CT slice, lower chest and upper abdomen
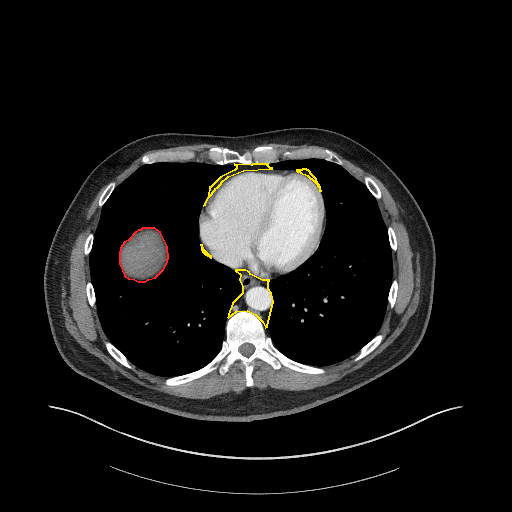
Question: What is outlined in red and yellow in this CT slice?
Answer: red: abdominal cavity; yellow: mediastinum.
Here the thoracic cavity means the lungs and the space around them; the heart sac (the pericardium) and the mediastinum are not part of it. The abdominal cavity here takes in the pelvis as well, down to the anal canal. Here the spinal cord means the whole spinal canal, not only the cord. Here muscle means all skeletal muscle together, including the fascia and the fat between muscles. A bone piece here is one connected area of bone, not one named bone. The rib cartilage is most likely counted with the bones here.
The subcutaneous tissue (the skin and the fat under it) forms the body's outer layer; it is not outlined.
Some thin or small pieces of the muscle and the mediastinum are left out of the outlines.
The abdominal cavity is outlined by 138,281 145,281 148,279 155,277 163,269 167,262 167,259 168,258 167,246 160,232 154,228 142,228 140,230 138,230 135,232 128,240 124,242 120,248 120,251 119,252 119,263 124,275 128,278 134,279. The mediastinum appears in 4 outlined pieces: piece 1: 265,327 267,326 273,301 271,293 268,289 268,281 269,280 262,280 250,274 249,272 245,270 235,270 240,274 239,280 242,286 242,293 232,303 228,314 228,317 236,311 247,310 255,314 262,321; piece 2: 203,205 205,204 209,196 215,189 215,188 217,187 221,183 221,182 228,176 243,170 272,168 270,168 267,165 268,164 252,164 251,165 234,164 236,165 236,168 234,170 220,177 210,187 209,187 208,195; piece 3: 320,191 320,188 319,187 319,185 318,184 316,179 310,173 310,172 308,170 307,170 306,169 302,169 301,170 296,170 297,171 299,171 300,172 307,175 310,178 311,178 317,184 317,185 318,185 319,186 319,188; piece 4: 210,257 211,257 211,256 210,256 203,249 203,248 202,247 202,246 201,245 201,244 201,249 202,250 202,251 205,254 206,254 207,255 208,255. The pericardium is outlined by 262,279 269,279 291,271 305,261 315,251 319,243 318,241 320,238 323,215 325,211 321,191 319,191 318,186 311,179 295,170 249,170 232,175 216,188 200,212 199,238 204,249 218,261 234,269 245,269. The bones appear in 11 outlined pieces: piece 1: 248,387 253,385 251,373 256,359 274,369 283,365 310,374 325,370 296,362 281,353 266,334 261,321 247,311 236,312 228,318 222,347 209,363 164,381 166,385 177,385 215,369 223,375 239,360 245,366; inner edge: 245,356 249,356 253,352 253,351 254,350 254,347 253,346 253,345 252,345 251,344 250,344 249,343 244,343 242,345 241,345 239,347 239,351 243,355 244,355; piece 2: 340,165 342,165 343,162 332,151 326,148 302,148 280,151 272,145 259,145 251,150 246,150 241,153 225,147 212,146 209,147 206,152 207,158 212,163 216,164 270,163 278,161 280,157 284,159 316,157; piece 3: 142,164 146,164 147,163 153,163 157,161 190,161 192,160 195,157 195,153 193,151 191,151 190,150 178,150 177,151 159,151 155,153 150,153 149,154 145,154 143,155 141,158 141,162; piece 4: 130,369 134,369 135,366 133,364 132,364 125,357 125,356 117,348 116,348 109,341 105,341 104,342 104,345 105,346 106,349 108,351 108,352 118,362 119,362 121,364 122,364 127,368 129,368; piece 5: 354,361 356,361 362,358 364,356 368,354 371,351 372,351 380,343 380,342 384,337 384,335 383,334 377,334 369,342 368,342 363,347 362,347 360,349 358,353 354,357 353,359; piece 6: 376,199 379,199 380,198 381,198 381,192 379,189 379,187 377,185 377,184 372,179 372,178 371,177 370,177 369,176 365,176 364,177 364,183 365,184 365,185 368,188 368,189 370,191 370,192; piece 7: 99,207 102,207 102,206 104,204 104,203 106,201 106,200 109,197 110,194 112,192 112,191 116,186 116,183 114,181 111,181 110,182 109,182 104,188 104,189 99,198 99,201 98,202 98,206; piece 8: 390,308 392,308 393,307 393,306 394,305 394,303 395,302 396,295 397,294 397,281 395,279 393,279 393,280 392,281 392,283 391,284 391,286 390,287 390,290 389,291 389,294 388,295 388,306; piece 9: 94,308 95,307 95,294 94,293 94,290 93,289 93,287 92,286 92,284 91,283 91,282 90,281 88,281 86,283 86,293 87,294 87,297 88,298 88,301 89,302 90,305 92,307 93,307; piece 10: 393,251 395,251 397,248 397,242 396,241 396,236 395,235 395,233 394,232 394,230 393,229 392,226 389,226 388,227 387,227 387,231 388,232 388,238 389,239 389,243 390,244 390,246 391,247 391,249; piece 11: 86,255 88,255 89,254 89,253 90,252 90,251 91,250 91,248 92,247 92,243 93,242 93,233 92,233 91,232 90,232 88,234 88,235 86,237 86,238 85,239 85,242 84,243 84,253. The muscle appears in 4 outlined pieces: piece 1: 194,399 234,395 247,388 244,366 239,361 223,376 215,370 184,384 166,386 163,383 164,377 152,375 136,367 134,370 127,369 103,345 108,340 101,329 96,308 89,305 85,293 85,283 90,280 90,275 83,243 87,234 94,232 96,228 101,211 97,202 105,185 87,210 64,268 61,307 65,326 83,348 99,358 114,373 148,388; piece 2: 270,393 315,388 363,366 401,333 419,302 418,251 399,207 375,176 335,152 344,162 342,166 355,177 363,181 369,175 380,187 382,198 377,200 378,205 386,225 393,226 398,242 397,250 392,251 393,278 398,281 396,302 392,309 387,307 378,333 385,337 356,362 352,360 355,354 324,367 324,374 310,375 283,366 274,370 256,360 251,387; piece 3: 206,162 210,162 206,158 205,156 205,152 209,146 217,145 215,145 214,144 207,144 206,143 203,143 202,144 194,144 193,145 183,145 182,146 177,146 176,147 171,147 170,148 163,148 162,149 150,150 143,154 145,153 149,153 150,152 155,152 159,150 190,149 191,150 193,150 196,153 196,157 193,160 195,161 205,161; piece 4: 117,185 119,183 120,183 126,177 127,177 133,171 134,171 140,165 141,165 141,163 140,162 140,158 141,156 137,158 127,168 126,168 123,171 122,171 119,174 118,174 112,180 114,180 117,183. The spinal cord is outlined by 245,356 249,356 253,352 253,351 254,350 254,347 253,346 253,345 252,345 251,344 250,344 249,343 244,343 242,345 241,345 239,347 239,351 243,355 244,355. The torso is outlined by 212,421 289,415 337,398 399,365 425,333 435,276 435,246 429,225 412,194 387,164 343,134 294,127 237,136 177,132 144,136 120,147 90,172 56,229 46,258 43,285 52,337 64,361 77,373 136,402. The thoracic cavity appears in 2 outlined pieces: piece 1: 165,377 196,370 215,356 225,336 225,322 231,303 241,293 239,274 205,255 200,249 198,238 198,216 208,187 234,169 233,164 191,161 142,165 115,188 102,208 94,233 89,263 102,329 108,339 137,367 with a hole at 138,281 145,281 148,279 155,277 163,269 167,262 167,259 168,258 167,246 160,232 154,228 142,228 140,230 138,230 135,232 128,240 124,242 120,248 120,251 119,252 119,263 124,275 128,278 134,279; piece 2: 322,367 356,353 378,332 392,280 391,250 377,202 363,182 341,166 323,159 280,160 269,164 270,167 306,168 317,179 324,198 327,224 316,251 305,262 269,281 274,301 265,328 274,345 285,355 302,363.